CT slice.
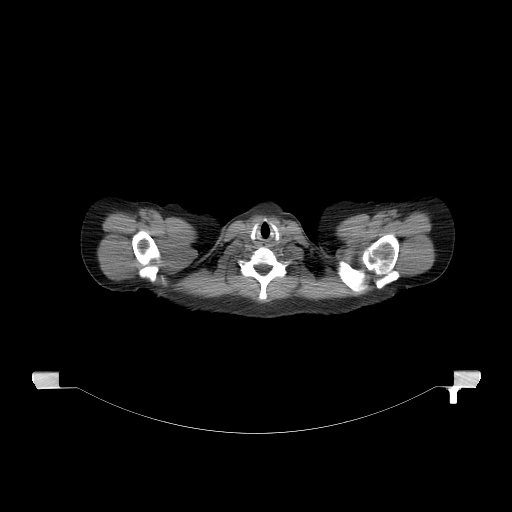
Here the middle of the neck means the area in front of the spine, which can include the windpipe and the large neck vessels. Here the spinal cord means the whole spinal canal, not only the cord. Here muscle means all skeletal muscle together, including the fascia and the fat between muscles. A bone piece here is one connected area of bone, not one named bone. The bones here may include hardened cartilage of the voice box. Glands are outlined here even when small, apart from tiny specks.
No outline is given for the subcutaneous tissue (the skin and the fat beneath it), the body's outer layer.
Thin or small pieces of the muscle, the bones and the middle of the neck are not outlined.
muscle: (140, 207) (186, 220) (198, 231) (194, 246) (203, 254) (224, 227) (258, 210) (296, 222) (325, 254) (336, 247) (337, 223) (352, 215) (427, 210) (436, 257) (428, 270) (400, 277) (400, 242) (388, 232) (362, 250) (369, 272) (337, 262) (340, 280) (353, 292) (366, 290) (372, 274) (377, 289) (367, 293) (263, 303) (204, 298) (153, 284) (167, 278) (159, 274) (162, 255) (145, 229) (131, 236) (139, 277) (116, 281) (103, 273) (96, 254) (103, 218); inner edge: (264, 216) (286, 229) (286, 241) (269, 248) (279, 260) (290, 261) (290, 263) (286, 267) (284, 276) (275, 277) (267, 284) (266, 299) (259, 300) (261, 288) (259, 282) (252, 276) (244, 276) (237, 260) (248, 259) (259, 247) (244, 239) (244, 235) (247, 225) (251, 226)
thyroid glands 1: (247, 225) (248, 225) (249, 225) (250, 225) (251, 226) (251, 227) (251, 228) (251, 229) (250, 230) (250, 231) (249, 232) (248, 232) (247, 233) (246, 233) (246, 232) (245, 231) (245, 230) (245, 229) (246, 228) (246, 227) (247, 226)
thyroid glands 2: (279, 227) (280, 227) (281, 227) (282, 227) (283, 227) (284, 227) (285, 228) (286, 229) (286, 230) (286, 231) (286, 232) (286, 233) (286, 234) (285, 234) (284, 234) (283, 233) (282, 232) (281, 231) (281, 230) (280, 229) (279, 228)
spinal cord: (259, 264) (265, 264) (266, 265) (269, 265) (271, 267) (271, 268) (265, 274) (260, 274) (256, 270) (256, 269) (255, 268) (255, 266) (256, 265) (258, 265)
bones 1: (388, 233) (393, 234) (399, 242) (399, 250) (394, 265) (394, 269) (399, 273) (399, 277) (378, 289) (373, 281) (371, 272) (366, 289) (361, 292) (353, 291) (341, 280) (337, 272) (338, 262) (344, 261) (356, 269) (362, 269) (369, 273) (361, 260) (363, 250) (372, 242)
bones 2: (261, 246) (265, 246) (272, 250) (279, 260) (290, 261) (286, 267) (286, 274) (282, 277) (273, 278) (267, 284) (267, 297) (265, 300) (258, 299) (261, 288) (259, 282) (252, 276) (244, 276) (241, 273) (240, 267) (237, 262) (239, 259) (248, 259) (253, 251), around a hole outlined by (259, 264) (265, 264) (266, 265) (269, 265) (271, 267) (271, 268) (265, 274) (260, 274) (256, 270) (256, 269) (255, 268) (255, 266) (256, 265) (258, 265)
bones 3: (139, 230) (145, 230) (148, 232) (160, 252) (161, 256) (160, 261) (158, 263) (158, 274) (163, 274) (165, 276) (165, 283) (162, 283) (159, 279) (152, 283) (148, 279) (141, 278) (138, 275) (138, 270) (142, 267) (142, 265) (137, 260) (134, 254) (132, 247) (132, 236)
bones 4: (272, 223) (274, 225) (275, 225) (278, 228) (278, 231) (279, 232) (279, 234) (280, 235) (280, 236) (279, 237) (279, 238) (278, 239) (278, 240) (277, 240) (275, 238) (275, 232) (274, 231) (274, 230) (272, 228) (272, 227) (271, 226) (271, 224)
head and neck: (264, 197) (271, 197) (277, 200) (286, 211) (294, 214) (301, 222) (301, 225) (305, 233) (310, 239) (312, 286) (301, 307) (294, 315) (274, 318) (246, 317) (241, 316) (229, 310) (226, 308) (225, 305) (215, 262) (223, 223) (225, 223) (237, 214) (243, 212) (258, 200)
right arm: (110, 194) (132, 200) (148, 200) (160, 205) (175, 202) (189, 210) (197, 211) (200, 215) (199, 251) (188, 266) (184, 270) (163, 279) (148, 289) (140, 288) (135, 292) (111, 291) (100, 286) (89, 274) (82, 261) (79, 247) (79, 233) (83, 216) (89, 205) (96, 199)
left arm: (426, 193) (435, 194) (442, 198) (451, 210) (455, 224) (455, 243) (453, 254) (447, 268) (436, 280) (425, 285) (403, 289) (393, 297) (372, 283) (357, 268) (347, 255) (342, 245) (339, 233) (339, 200) (352, 199) (361, 202) (374, 201) (378, 203) (384, 201) (403, 201)
torso 1: (336, 200) (338, 200) (338, 233) (341, 245) (346, 255) (356, 268) (372, 284) (387, 295) (392, 297) (381, 303) (362, 307) (339, 315) (325, 316) (318, 314) (296, 314) (302, 307) (313, 286) (311, 240) (313, 242) (316, 241) (315, 236) (316, 218) (320, 211) (326, 205)
torso 2: (203, 210) (210, 211) (214, 213) (222, 223) (214, 262) (225, 308) (238, 315) (226, 314) (225, 313) (210, 313) (203, 311) (183, 310) (171, 305) (167, 301) (163, 299) (156, 298) (150, 291) (147, 290) (163, 280) (184, 271) (200, 251) (201, 215) (198, 211)
middle of the neck: (264, 216) (278, 226) (272, 222) (270, 224) (274, 232) (274, 238) (277, 241) (279, 240) (281, 236) (279, 229) (287, 236) (285, 242) (268, 247) (265, 245) (259, 246) (244, 239) (244, 235) (250, 232) (250, 238) (255, 239) (258, 224) (255, 223) (252, 227) (252, 224)